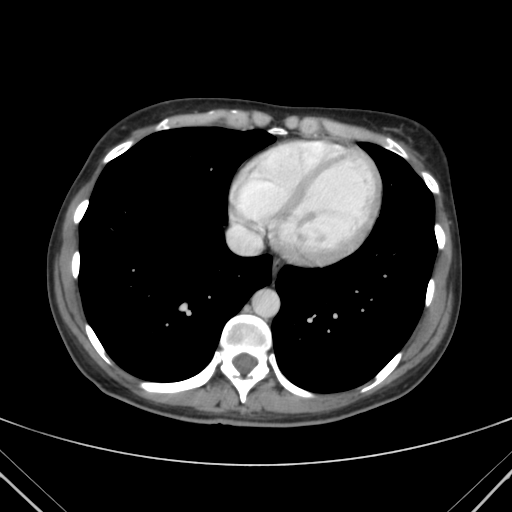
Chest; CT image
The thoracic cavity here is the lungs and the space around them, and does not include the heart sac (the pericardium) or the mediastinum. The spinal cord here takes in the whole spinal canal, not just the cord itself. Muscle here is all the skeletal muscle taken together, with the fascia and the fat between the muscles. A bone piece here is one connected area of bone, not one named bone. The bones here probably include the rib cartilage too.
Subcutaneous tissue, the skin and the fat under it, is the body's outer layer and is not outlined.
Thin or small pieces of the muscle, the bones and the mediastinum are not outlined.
{"pericardium":[[[303,267],[322,267],[331,264],[353,252],[367,237],[378,216],[382,196],[382,182],[379,172],[369,155],[353,142],[325,136],[290,136],[282,138],[250,156],[232,178],[228,194],[228,215],[238,223],[245,225],[263,237],[266,240],[268,247],[286,263]]],"spinal_cord":[[[243,376],[244,376],[256,364],[256,360],[255,359],[255,358],[254,358],[252,356],[251,356],[246,353],[242,353],[241,354],[240,354],[239,355],[236,356],[234,358],[234,359],[233,360],[233,363],[234,364],[235,367],[240,372],[240,373]]],"bones":[{"outer":[[242,403],[254,384],[271,370],[279,383],[292,393],[302,397],[317,395],[295,385],[281,372],[272,350],[270,328],[251,314],[237,314],[226,322],[211,360],[194,376],[176,382],[139,381],[139,386],[146,391],[173,393],[206,383],[218,368],[235,386]],"hole":[[243,376],[244,376],[256,364],[256,360],[255,359],[255,358],[254,358],[252,356],[251,356],[246,353],[242,353],[241,354],[240,354],[239,355],[236,356],[234,358],[234,359],[233,360],[233,363],[234,364],[235,367],[240,372],[240,373]]},[[405,159],[407,153],[390,137],[309,117],[290,117],[283,127],[269,126],[269,117],[259,112],[210,110],[167,117],[154,127],[158,131],[211,125],[223,119],[229,127],[266,126],[272,134],[298,129],[304,135],[316,135],[323,129],[333,136],[375,142]],[[361,392],[364,392],[372,388],[374,386],[378,384],[381,381],[382,381],[395,368],[395,367],[398,364],[402,356],[403,351],[402,350],[400,350],[375,375],[373,379],[370,382],[367,382],[365,384],[364,384],[362,386],[360,390]],[[110,365],[111,365],[113,363],[113,361],[106,353],[103,346],[101,344],[98,338],[94,333],[92,328],[87,322],[85,322],[84,324],[85,332],[89,340],[91,342],[91,343],[93,345],[93,346],[95,348],[96,351],[99,354],[99,355],[108,364]],[[105,164],[112,159],[113,159],[115,157],[116,157],[118,155],[121,154],[123,152],[127,150],[132,145],[133,145],[136,142],[136,141],[132,139],[128,139],[127,140],[125,140],[119,143],[117,145],[113,147],[104,156],[102,160],[102,162]],[[433,194],[438,194],[439,193],[439,187],[438,186],[438,184],[437,183],[437,182],[435,180],[435,179],[427,171],[425,171],[424,170],[423,170],[420,172],[420,176],[423,179],[423,180],[425,182],[426,185],[428,187],[428,188],[431,191],[431,192]],[[75,224],[78,224],[79,223],[79,222],[81,220],[81,219],[82,218],[82,217],[83,216],[83,215],[87,208],[87,206],[88,205],[88,203],[89,202],[89,198],[84,198],[77,205],[77,206],[74,211],[74,214],[73,215],[73,221]],[[76,280],[78,278],[78,274],[79,273],[79,251],[78,250],[78,249],[76,249],[74,251],[74,252],[73,253],[73,254],[72,255],[72,257],[71,258],[71,270],[72,271],[72,274],[73,275],[73,277]],[[425,307],[427,307],[429,305],[433,297],[433,293],[434,292],[434,289],[435,288],[435,282],[434,281],[434,278],[433,277],[431,277],[430,278],[428,282],[428,284],[427,285],[427,289],[426,290],[426,294],[425,295],[425,303],[424,304],[424,306]]],"mediastinum":[[[270,327],[280,307],[280,298],[275,289],[275,280],[279,270],[287,264],[267,247],[263,238],[229,217],[228,222],[224,226],[224,232],[226,243],[231,251],[241,256],[255,256],[269,253],[272,257],[270,283],[256,290],[238,313],[255,314],[262,318]]],"torso":[[[251,428],[323,425],[373,410],[417,386],[446,350],[462,297],[460,233],[447,155],[436,135],[417,120],[364,108],[282,105],[235,97],[173,98],[136,109],[111,125],[69,187],[48,241],[46,291],[54,323],[76,367],[105,395],[147,413],[188,423]]],"thoracic_cavity":[[[152,381],[181,380],[200,371],[217,348],[225,322],[256,289],[270,281],[270,255],[238,256],[228,249],[223,232],[228,188],[235,170],[275,139],[265,129],[197,126],[155,132],[109,162],[94,186],[79,228],[78,280],[83,308],[111,358],[131,374]],[[321,393],[343,391],[363,384],[401,349],[423,308],[437,249],[433,232],[432,194],[403,158],[368,141],[358,144],[376,163],[383,182],[380,213],[368,237],[357,250],[331,265],[322,268],[285,265],[276,280],[281,307],[271,330],[278,365],[295,384]]],"muscle":[[[249,416],[271,412],[318,413],[349,405],[388,385],[436,348],[446,331],[452,307],[450,219],[439,184],[440,193],[433,195],[435,221],[444,228],[446,242],[441,251],[437,250],[433,266],[434,297],[424,307],[403,346],[404,353],[396,368],[364,393],[359,391],[361,385],[343,392],[316,393],[315,398],[292,394],[271,371],[255,384],[242,404],[234,386],[218,369],[206,384],[194,389],[173,394],[146,392],[138,386],[140,379],[115,362],[108,365],[88,340],[78,281],[70,270],[71,255],[78,248],[79,227],[73,223],[72,215],[76,205],[90,196],[105,166],[101,162],[103,157],[99,160],[67,209],[56,247],[54,290],[63,321],[94,362],[135,394],[156,403]],[[387,136],[390,136],[388,135],[386,135],[385,134],[382,134],[381,133],[373,131],[370,129],[368,129],[367,128],[365,128],[361,126],[357,126],[356,125],[352,125],[351,124],[347,124],[346,123],[343,123],[342,122],[340,122],[339,121],[337,121],[336,120],[334,120],[331,118],[328,118],[327,117],[322,117],[321,116],[299,116],[298,115],[290,115],[289,116],[287,116],[285,118],[281,120],[276,120],[271,115],[265,112],[262,112],[261,111],[258,111],[257,110],[243,110],[242,109],[238,109],[240,110],[243,110],[248,113],[251,113],[253,111],[259,111],[264,114],[266,114],[268,116],[269,116],[271,119],[271,122],[269,125],[282,125],[283,126],[284,125],[283,124],[284,120],[286,118],[290,116],[296,116],[299,118],[301,118],[304,116],[309,116],[310,117],[314,117],[318,119],[320,121],[324,119],[326,120],[333,120],[334,121],[337,121],[338,122],[343,123],[349,126],[358,127],[359,128],[361,128],[365,130],[368,130],[374,133],[378,133],[379,134],[382,134],[383,135],[386,135]],[[433,176],[433,175],[424,165],[424,164],[406,145],[405,145],[400,141],[395,140],[397,141],[408,153],[409,155],[409,158],[407,160],[406,160],[408,162],[408,163],[410,164],[413,169],[419,175],[419,172],[421,170],[424,169],[425,170],[427,170]],[[137,142],[140,139],[143,138],[145,136],[154,132],[153,130],[153,127],[155,125],[155,124],[153,124],[152,125],[149,125],[148,126],[146,126],[145,127],[140,128],[134,131],[127,138],[126,138],[125,139],[127,139],[128,138],[132,138],[136,140]]]}